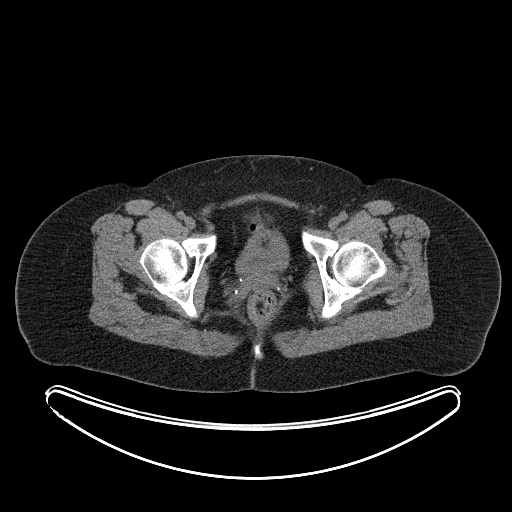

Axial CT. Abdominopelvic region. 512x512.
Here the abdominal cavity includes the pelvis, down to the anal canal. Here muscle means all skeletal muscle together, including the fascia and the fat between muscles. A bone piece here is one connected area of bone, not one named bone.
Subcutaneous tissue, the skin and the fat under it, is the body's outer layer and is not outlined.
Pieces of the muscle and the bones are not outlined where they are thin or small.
muscle: (256, 191) (280, 195) (318, 208) (350, 209) (367, 201) (386, 199) (421, 215) (430, 229) (427, 256) (434, 312) (432, 324) (398, 337) (360, 342) (296, 358) (284, 357) (266, 336) (263, 346) (264, 356) (261, 345) (255, 343) (252, 346) (254, 358) (249, 354) (251, 342) (248, 339) (245, 339) (232, 353) (219, 357) (205, 357) (182, 350) (133, 341) (92, 323) (87, 316) (92, 302) (90, 227) (99, 216) (131, 199) (145, 198) (167, 207) (191, 209); inner edges: (253, 201) (303, 213) (302, 230) (340, 245) (352, 239) (369, 244) (387, 272) (323, 318) (319, 269) (307, 252) (303, 276) (254, 327) (237, 310) (205, 306) (215, 250) (193, 290) (198, 317) (188, 316) (153, 286) (139, 262) (142, 252) (156, 239) (214, 234) (215, 211), then (298, 293) (305, 293) (307, 295) (307, 315) (306, 316) (306, 320) (304, 321) (303, 323) (302, 323) (297, 328) (295, 328) (294, 329) (289, 329) (288, 330) (283, 330) (282, 331) (273, 331) (271, 328) (271, 326) (273, 323) (280, 317) (281, 314) (285, 310) (292, 299), then (221, 316) (224, 316) (225, 317) (228, 317) (229, 318) (230, 318) (231, 319) (236, 321) (240, 325) (240, 330) (237, 332) (225, 332) (224, 331) (222, 331) (221, 330) (217, 330) (216, 329) (209, 329) (208, 328) (208, 321) (211, 318) (214, 318) (215, 317) (220, 317)
abdominal cavity: (253, 201) (271, 202) (303, 213) (306, 222) (301, 226) (299, 236) (309, 260) (308, 268) (303, 276) (272, 308) (259, 327) (254, 327) (237, 310) (222, 310) (205, 306) (211, 281) (210, 264) (218, 255) (216, 250) (218, 235) (215, 233) (215, 225) (212, 221) (213, 213)
torso: (247, 154) (313, 158) (345, 168) (368, 183) (380, 177) (402, 178) (445, 194) (467, 211) (493, 246) (501, 269) (499, 305) (478, 360) (449, 376) (413, 371) (311, 392) (206, 393) (36, 359) (17, 325) (14, 287) (22, 251) (49, 213) (99, 185) (142, 185) (190, 163)
bones 1: (302, 230) (317, 236) (335, 239) (340, 245) (352, 239) (365, 242) (375, 249) (385, 263) (387, 272) (383, 276) (368, 283) (360, 293) (344, 301) (341, 309) (336, 315) (323, 318) (320, 315) (324, 304) (324, 291) (319, 269) (315, 258) (306, 251) (302, 245) (300, 236)
bones 2: (212, 234) (217, 235) (217, 244) (215, 250) (205, 259) (193, 290) (193, 303) (198, 313) (198, 317) (194, 318) (188, 316) (173, 299) (160, 293) (153, 286) (143, 270) (139, 262) (139, 259) (145, 247) (150, 242) (156, 239) (169, 237) (180, 242) (188, 237) (204, 237)
bones 3: (255, 344) (259, 344) (260, 345) (260, 350) (261, 351) (261, 352) (262, 353) (262, 354) (263, 355) (263, 356) (262, 357) (262, 358) (261, 359) (257, 359) (256, 358) (255, 358) (255, 357) (254, 356) (254, 349) (253, 348) (253, 346)